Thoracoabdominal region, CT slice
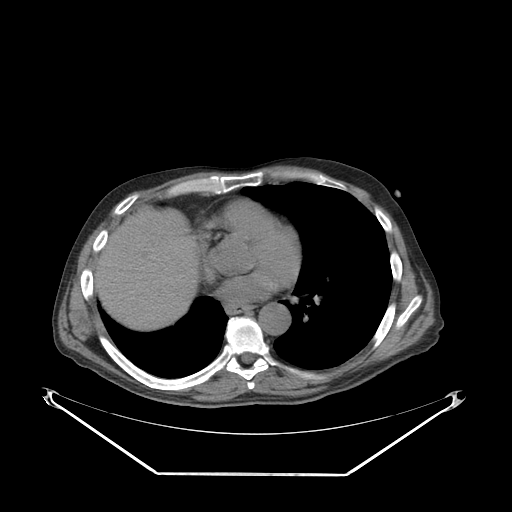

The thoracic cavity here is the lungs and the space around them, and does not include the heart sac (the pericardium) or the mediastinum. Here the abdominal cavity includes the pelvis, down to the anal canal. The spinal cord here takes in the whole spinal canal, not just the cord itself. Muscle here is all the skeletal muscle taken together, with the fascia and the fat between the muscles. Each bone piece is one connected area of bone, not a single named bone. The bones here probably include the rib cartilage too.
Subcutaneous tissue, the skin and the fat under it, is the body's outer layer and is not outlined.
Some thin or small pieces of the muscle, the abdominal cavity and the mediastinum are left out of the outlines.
Outlines (x, y in pixels):
bones 1: 235 316; 255 320; 275 358; 302 370; 325 374; 322 379; 304 378; 270 365; 252 377; 251 389; 245 378; 224 368; 207 380; 182 389; 152 388; 121 368; 98 338; 104 336; 145 372; 176 379; 201 370; 220 353; 226 342; 228 319; inner edge: 244 352; 250 352; 251 353; 252 353; 253 354; 254 354; 255 355; 255 359; 254 360; 254 361; 252 363; 251 363; 250 364; 244 364; 243 363; 242 363; 239 360; 239 356; 242 353; 243 353
bones 2: 258 170; 264 170; 266 172; 263 177; 262 183; 257 186; 239 187; 228 192; 218 194; 197 191; 181 194; 171 198; 159 199; 158 196; 159 193; 162 193; 167 188; 187 180; 197 178; 205 178; 211 175; 218 176; 244 175
bones 3: 286 170; 294 170; 301 172; 311 172; 312 173; 322 174; 326 177; 342 183; 347 187; 348 191; 345 191; 341 189; 325 185; 316 184; 309 181; 306 181; 304 179; 289 179; 281 177; 272 177; 270 175; 270 172; 274 171; 285 171
bones 4: 393 302; 395 303; 395 314; 394 315; 394 318; 393 319; 392 324; 390 328; 388 330; 387 333; 380 342; 380 343; 374 349; 372 349; 372 345; 373 344; 370 341; 372 337; 374 335; 386 311; 386 309; 388 305; 390 303; 392 303
bones 5: 85 268; 88 268; 90 269; 92 272; 92 275; 93 276; 93 295; 91 297; 90 297; 88 299; 88 300; 86 300; 85 299; 82 293; 82 291; 81 290; 81 284; 80 283; 80 276; 81 275; 81 273; 83 269
bones 6: 416 295; 421 295; 422 296; 422 301; 420 305; 410 315; 410 316; 408 318; 406 322; 401 327; 399 328; 396 328; 396 322; 397 321; 397 319; 399 315; 407 307; 410 301
bones 7: 393 251; 395 251; 398 254; 398 255; 399 256; 399 257; 401 260; 401 264; 402 265; 402 272; 401 273; 401 279; 400 280; 400 281; 395 281; 394 280; 393 280; 393 277; 392 276; 392 271; 391 270; 391 265; 390 264; 390 253
bones 8: 134 193; 138 193; 139 196; 137 198; 137 199; 132 204; 132 205; 124 213; 123 213; 121 215; 116 215; 115 214; 114 214; 114 210; 115 209; 115 208; 116 207; 117 204; 127 196; 128 196; 131 194; 133 194
bones 9: 103 229; 106 229; 108 232; 108 235; 107 236; 107 240; 105 243; 105 245; 98 252; 97 252; 96 253; 95 252; 94 252; 94 251; 93 250; 93 242; 94 241; 94 240; 95 239; 95 238; 99 233; 99 232; 101 230; 102 230
bones 10: 375 207; 377 207; 389 219; 389 220; 391 223; 391 225; 392 226; 392 231; 391 232; 386 232; 384 230; 384 229; 383 228; 383 227; 381 225; 381 224; 380 223; 380 222; 378 220; 378 219; 374 214; 374 209; 375 208
pericardium: 228 194; 242 194; 248 196; 252 200; 284 215; 297 230; 301 244; 302 258; 291 294; 279 300; 262 303; 244 303; 212 296; 204 289; 202 285; 202 252; 200 251; 200 242; 198 241; 198 236; 196 235; 192 220; 215 200
abdominal cavity: 164 199; 166 202; 185 209; 197 236; 199 251; 201 252; 201 284; 199 286; 199 295; 193 300; 186 313; 172 325; 153 331; 136 331; 118 323; 96 301; 92 271; 98 253; 106 245; 108 236; 118 218; 134 206; 144 202
spinal cord: 244 352; 250 352; 251 353; 252 353; 253 354; 254 354; 255 355; 255 359; 254 360; 254 361; 252 363; 251 363; 250 364; 244 364; 243 363; 242 363; 239 360; 239 356; 242 353; 243 353
torso: 297 156; 331 159; 360 168; 391 192; 404 211; 439 288; 444 326; 433 346; 354 388; 318 400; 292 405; 217 408; 175 405; 142 397; 79 366; 57 350; 51 316; 64 264; 82 225; 106 193; 131 178; 160 170; 194 165; 247 167
muscle 1: 275 165; 310 168; 350 183; 369 193; 391 215; 433 294; 435 321; 417 342; 310 394; 288 396; 249 391; 223 401; 200 401; 192 397; 140 387; 63 344; 58 333; 58 312; 78 255; 89 235; 112 207; 123 198; 113 210; 113 214; 119 217; 109 233; 106 228; 103 228; 94 238; 92 250; 97 255; 93 269; 83 268; 79 283; 86 301; 93 296; 100 319; 110 339; 99 334; 97 338; 101 346; 121 369; 140 383; 152 389; 178 391; 201 384; 224 369; 245 379; 247 388; 251 390; 255 386; 253 377; 270 366; 304 379; 322 380; 327 377; 325 373; 308 370; 323 370; 338 366; 360 352; 369 342; 372 344; 371 349; 374 350; 393 324; 396 303; 393 301; 389 303; 389 299; 393 281; 400 282; 403 272; 399 254; 395 250; 390 252; 387 243; 386 233; 393 231; 390 219; 377 206; 374 207; 373 213; 370 211; 349 192; 345 184; 322 173; 294 169; 274 170; 269 172; 272 178; 305 181; 263 183; 267 172; 264 169; 258 169 with a hole at 416 295; 421 295; 422 296; 422 301; 420 305; 410 315; 410 316; 408 318; 406 322; 401 327; 399 328; 396 328; 396 322; 397 321; 397 319; 399 315; 407 307; 410 301
muscle 2: 213 171; 228 173; 229 174; 242 174; 243 173; 247 173; 244 174; 230 174; 229 175; 211 174; 205 177; 197 177; 196 178; 187 179; 178 182; 175 184; 173 184; 167 187; 162 192; 159 192; 157 194; 158 199; 154 199; 149 201; 144 201; 141 203; 132 206; 140 196; 138 192; 134 192; 129 194; 134 191; 154 187; 169 180; 178 178; 185 175; 197 173; 198 172; 212 172
thoracic cavity 1: 291 181; 309 182; 351 194; 375 216; 385 232; 389 251; 391 289; 373 335; 360 351; 329 368; 296 367; 271 352; 275 340; 293 321; 290 310; 281 301; 289 300; 292 295; 303 258; 302 244; 298 230; 284 214; 252 199; 242 189
thoracic cavity 2: 202 295; 216 299; 228 318; 223 336; 225 342; 219 353; 207 365; 193 373; 176 378; 165 378; 153 375; 140 368; 127 358; 112 342; 101 319; 96 303; 97 302; 114 321; 125 328; 136 332; 153 332; 175 324; 187 313; 194 300
mediastinum 1: 290 295; 289 299; 281 300; 280 302; 289 310; 292 317; 291 324; 284 333; 274 340; 271 347; 265 341; 262 329; 254 318; 245 315; 235 315; 228 317; 220 302; 213 297; 233 302; 240 302; 244 304; 248 303; 262 304; 279 301
mediastinum 2: 236 190; 241 190; 242 193; 228 193; 215 199; 192 219; 190 219; 190 216; 188 215; 188 212; 186 211; 185 208; 181 207; 179 205; 176 205; 169 201; 166 201; 165 199; 171 199; 181 195; 190 193; 205 193; 206 194; 218 195
mediastinum 3: 201 285; 202 286; 202 287; 203 288; 203 289; 209 295; 210 295; 206 295; 205 294; 202 294; 201 295; 200 295; 200 286